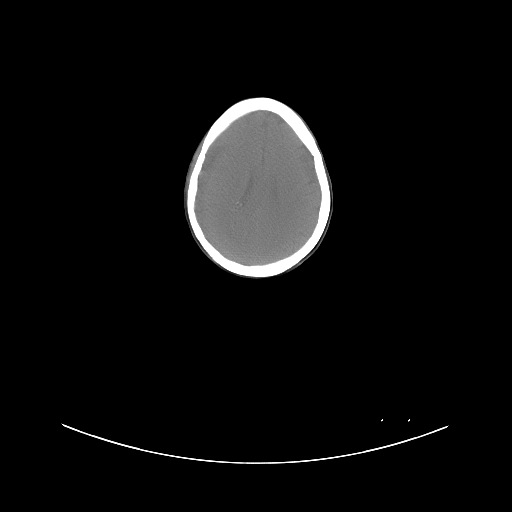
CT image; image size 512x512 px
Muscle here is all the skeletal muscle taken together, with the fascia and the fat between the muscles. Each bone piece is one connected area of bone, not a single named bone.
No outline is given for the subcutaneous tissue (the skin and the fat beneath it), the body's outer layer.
The head is outlined by [[248,96],[265,96],[280,100],[293,108],[305,120],[321,146],[329,168],[334,192],[333,217],[327,235],[319,249],[305,263],[290,273],[263,280],[242,279],[229,275],[208,261],[192,240],[182,211],[182,186],[184,175],[188,162],[200,138],[226,108]]. The brain is outlined by [[256,111],[267,111],[279,116],[289,126],[309,152],[312,157],[313,169],[319,187],[320,198],[316,221],[311,233],[297,249],[290,254],[273,261],[245,264],[225,256],[207,239],[198,221],[195,211],[195,203],[198,191],[198,178],[210,146],[233,122]]. The muscle is outlined by [[200,145],[199,151],[196,156],[196,158],[194,161],[194,163],[192,166],[192,168],[188,176],[188,180],[187,181],[186,189],[187,178],[188,177],[188,174],[189,173],[189,171],[191,167],[191,164],[194,159],[194,157],[196,154],[196,152]]. The bones are outlined by [[255,96],[265,96],[277,99],[290,106],[303,119],[315,137],[322,154],[330,190],[329,215],[324,230],[317,243],[296,264],[281,273],[266,277],[240,275],[227,270],[213,261],[195,237],[186,211],[186,190],[189,176],[208,128],[230,105],[238,100]] with a hole at [[256,111],[267,111],[279,116],[289,126],[309,152],[312,157],[313,169],[319,187],[320,198],[316,221],[311,233],[297,249],[290,254],[273,261],[245,264],[225,256],[207,239],[198,221],[195,211],[195,203],[198,191],[198,178],[210,146],[233,122]].